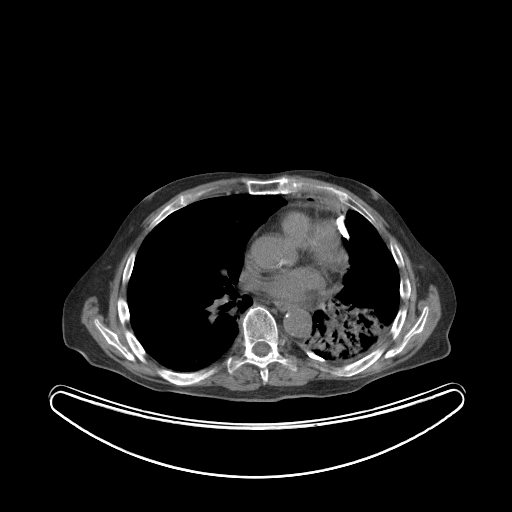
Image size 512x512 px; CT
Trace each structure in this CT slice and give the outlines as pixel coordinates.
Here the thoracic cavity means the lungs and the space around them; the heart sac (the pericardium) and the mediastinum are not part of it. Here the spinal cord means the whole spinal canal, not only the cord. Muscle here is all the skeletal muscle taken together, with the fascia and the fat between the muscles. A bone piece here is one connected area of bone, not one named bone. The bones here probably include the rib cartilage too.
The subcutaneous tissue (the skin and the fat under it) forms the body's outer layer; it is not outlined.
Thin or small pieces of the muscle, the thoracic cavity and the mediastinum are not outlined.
{"bones":[{"outer":[[254,306],[262,306],[270,312],[275,319],[279,335],[289,345],[286,348],[287,352],[296,357],[295,371],[279,362],[269,363],[268,379],[265,384],[260,369],[254,364],[244,363],[232,373],[229,373],[223,364],[236,339],[242,334],[245,312]],"hole":[[258,342],[264,342],[265,343],[266,343],[269,346],[269,347],[270,348],[270,350],[265,355],[263,355],[262,356],[260,356],[259,355],[257,355],[253,351],[253,347],[254,346],[254,345],[256,343],[257,343]]},[[282,176],[300,179],[312,184],[327,185],[346,192],[372,215],[378,225],[378,229],[360,213],[339,201],[335,196],[330,195],[323,191],[308,190],[281,194],[251,194],[247,192],[246,186],[243,181],[244,179],[266,180],[279,178]],[[425,306],[428,307],[428,311],[423,329],[414,334],[403,349],[394,356],[386,358],[381,355],[367,368],[351,376],[334,375],[319,368],[322,367],[330,370],[336,366],[343,366],[352,363],[381,346],[385,346],[386,351],[398,346],[406,333],[417,321]],[[96,318],[104,326],[115,333],[121,344],[129,351],[131,349],[126,339],[124,331],[125,329],[128,329],[132,331],[133,334],[146,352],[145,357],[146,362],[144,363],[136,357],[134,361],[129,360],[117,348],[108,343],[95,325],[94,320]],[[212,365],[216,365],[217,366],[217,368],[218,369],[217,371],[208,377],[200,380],[198,382],[196,382],[190,385],[185,385],[184,386],[175,385],[169,382],[167,380],[161,377],[156,371],[158,368],[166,368],[175,372],[194,372]],[[201,189],[210,189],[205,194],[201,196],[199,199],[195,200],[187,204],[185,206],[183,206],[173,211],[166,217],[165,217],[160,222],[159,222],[151,230],[149,230],[148,229],[148,227],[152,220],[169,203],[176,199],[181,194],[191,193]],[[403,306],[405,306],[407,309],[406,311],[406,315],[405,316],[405,319],[404,320],[404,322],[401,327],[401,329],[398,335],[395,339],[392,339],[392,337],[389,331],[392,325],[392,323],[398,312],[398,310],[399,308]],[[120,297],[122,297],[126,300],[126,302],[127,303],[127,305],[128,306],[128,309],[129,310],[129,321],[126,322],[124,324],[124,325],[123,325],[120,322],[120,320],[119,319],[119,316],[118,315],[118,310],[117,309],[117,301]],[[134,250],[136,251],[136,254],[135,255],[135,258],[134,259],[134,262],[133,263],[133,267],[131,271],[131,274],[130,275],[129,280],[127,282],[127,283],[123,285],[122,283],[122,276],[123,275],[123,271],[124,270],[127,259],[130,253]],[[401,277],[407,277],[408,278],[408,279],[409,280],[409,282],[410,283],[410,288],[411,289],[410,290],[410,294],[409,295],[409,297],[407,299],[406,299],[405,300],[404,299],[402,299],[400,297],[400,292],[399,291],[399,286],[400,285],[400,278]],[[390,241],[392,241],[397,245],[397,246],[401,253],[401,255],[403,258],[403,266],[402,267],[398,267],[398,266],[397,265],[397,264],[396,263],[396,262],[395,261],[395,260],[391,253],[391,251],[389,248],[389,242]]],"spinal_cord":[[[258,342],[264,342],[265,343],[266,343],[269,346],[269,347],[270,348],[270,350],[265,355],[263,355],[262,356],[260,356],[259,355],[257,355],[253,351],[253,347],[254,346],[254,345],[256,343],[257,343]]],"pericardium":[[[289,205],[315,205],[324,206],[328,209],[336,219],[337,231],[341,236],[341,242],[346,252],[346,263],[338,282],[330,290],[304,301],[288,301],[266,297],[249,290],[245,284],[245,274],[243,269],[244,256],[251,241],[258,230],[265,225],[270,218]]],"muscle":[[[284,175],[300,175],[342,186],[377,211],[388,224],[388,230],[408,255],[417,278],[418,297],[420,299],[426,295],[430,284],[437,288],[441,316],[431,334],[413,355],[387,369],[365,377],[350,380],[310,380],[303,385],[291,386],[262,385],[253,390],[231,390],[218,385],[191,386],[217,372],[218,366],[212,364],[224,357],[222,364],[229,374],[244,364],[251,364],[259,369],[260,378],[265,385],[269,379],[268,365],[271,363],[279,363],[293,372],[298,369],[297,357],[288,352],[288,346],[291,346],[304,358],[327,365],[336,365],[330,369],[320,366],[318,368],[321,371],[334,376],[351,377],[367,369],[381,356],[386,359],[394,357],[404,349],[414,335],[424,329],[429,311],[429,307],[425,305],[398,345],[386,350],[385,345],[380,346],[388,332],[392,340],[395,340],[399,335],[408,310],[405,305],[400,306],[400,300],[407,300],[412,289],[409,278],[407,276],[400,277],[399,268],[404,266],[404,258],[398,245],[390,240],[387,246],[378,231],[379,225],[376,219],[346,191],[331,185],[312,183]],[[233,177],[255,178],[244,178],[242,180],[246,191],[202,198],[200,198],[210,188],[181,193],[151,220],[147,227],[149,231],[137,251],[134,249],[129,253],[121,276],[122,285],[127,284],[126,299],[120,296],[116,301],[116,309],[119,322],[123,326],[128,322],[130,324],[132,330],[125,328],[123,331],[130,350],[122,344],[115,332],[96,317],[93,320],[94,325],[106,342],[117,349],[127,360],[134,362],[136,358],[145,364],[147,362],[147,354],[163,367],[158,367],[155,371],[156,373],[172,384],[160,383],[140,377],[108,356],[81,322],[84,302],[88,297],[96,296],[101,311],[106,313],[110,282],[124,253],[140,232],[142,222],[150,213],[186,189],[203,183]]],"mediastinum":[[[347,254],[347,268],[340,285],[323,296],[312,315],[311,337],[298,347],[290,345],[280,335],[276,319],[271,312],[262,305],[251,306],[252,298],[242,293],[238,287],[242,268],[244,284],[249,291],[274,300],[308,301],[330,291],[339,282],[347,263]],[[298,192],[311,193],[311,196],[314,199],[324,205],[289,204],[284,206],[270,217],[268,221],[257,230],[245,250],[244,255],[244,251],[248,240],[255,230],[260,225],[264,223],[279,208],[284,206],[287,203],[287,201],[280,195],[294,194]],[[326,207],[327,207],[328,208],[329,208],[330,209],[331,209],[332,210],[333,210],[334,211],[335,211],[335,213],[336,214],[336,218],[335,217],[335,215],[328,208],[327,208]]],"thoracic_cavity":[[[242,192],[251,195],[279,195],[286,203],[254,230],[244,248],[237,287],[252,302],[243,314],[241,334],[235,339],[227,355],[208,366],[194,371],[175,371],[164,367],[147,353],[130,323],[127,287],[137,252],[149,232],[173,212],[203,198]],[[312,192],[330,196],[365,218],[377,230],[398,268],[399,307],[389,330],[378,347],[343,365],[332,365],[310,359],[294,349],[310,340],[315,311],[324,296],[341,285],[348,268],[348,254],[342,242],[342,236],[338,231],[336,211],[319,202],[312,196]]],"torso":[[[290,169],[314,169],[353,178],[373,187],[397,210],[418,241],[443,266],[453,284],[457,306],[448,333],[451,350],[447,356],[382,377],[350,393],[252,402],[153,390],[91,365],[64,344],[61,320],[67,294],[146,195],[173,180],[194,174],[269,173]]]}